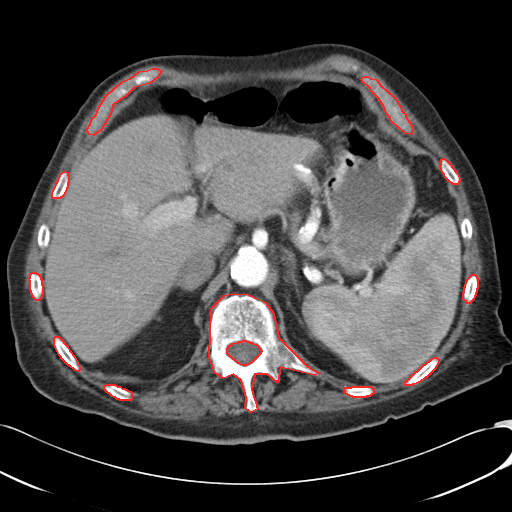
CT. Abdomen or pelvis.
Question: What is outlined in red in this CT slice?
Answer: red: bones.
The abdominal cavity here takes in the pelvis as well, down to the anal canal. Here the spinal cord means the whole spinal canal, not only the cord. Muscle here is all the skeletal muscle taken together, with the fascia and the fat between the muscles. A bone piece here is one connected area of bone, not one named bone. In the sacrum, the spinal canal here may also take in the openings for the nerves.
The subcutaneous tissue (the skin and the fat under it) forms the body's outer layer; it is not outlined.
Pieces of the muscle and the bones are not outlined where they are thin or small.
The bones appear in 11 outlined pieces: piece 1: 232 293; 248 294; 265 302; 273 313; 278 337; 307 366; 319 373; 314 375; 280 367; 277 382; 267 374; 254 374; 251 389; 257 409; 251 412; 245 408; 246 397; 241 380; 233 374; 223 378; 215 373; 209 357; 211 308; 224 295 with a hole at 243 340; 245 340; 246 341; 248 341; 249 342; 251 342; 252 343; 256 344; 261 350; 260 353; 250 363; 246 365; 242 365; 238 363; 230 356; 229 356; 227 353; 227 348; 229 345; 230 345; 232 343; 238 342; 239 341; 242 341; piece 2: 152 68; 157 68; 161 71; 157 77; 149 83; 134 87; 125 96; 114 103; 112 105; 110 114; 101 129; 93 135; 89 134; 87 131; 87 128; 90 124; 92 118; 96 114; 98 108; 106 95; 122 81; 130 78; 139 71; 147 70; piece 3: 364 76; 367 76; 370 78; 376 79; 380 85; 394 97; 397 101; 401 110; 405 114; 405 116; 411 125; 412 131; 410 134; 405 133; 391 121; 390 118; 386 113; 384 107; 378 98; 372 92; 369 87; 362 81; 361 79; 362 77; piece 4: 55 336; 58 336; 63 341; 63 342; 67 346; 69 350; 74 356; 79 366; 79 370; 78 371; 75 370; 69 365; 68 365; 61 358; 61 357; 59 355; 54 345; 54 337; piece 5: 434 357; 436 357; 438 359; 438 363; 435 367; 435 368; 426 377; 425 377; 420 381; 414 384; 412 384; 411 385; 405 385; 404 384; 405 381; 406 381; 416 371; 417 371; 424 364; 425 364; 428 361; 429 361; 432 358; piece 6: 106 384; 114 384; 117 386; 119 386; 122 388; 124 388; 125 389; 126 389; 127 390; 130 391; 131 392; 131 399; 130 400; 120 400; 119 399; 117 399; 115 397; 112 396; 109 393; 108 393; 104 389; 104 386; piece 7: 472 274; 474 274; 476 276; 476 277; 477 278; 477 288; 476 289; 476 292; 475 293; 475 295; 474 296; 473 299; 469 303; 467 303; 466 302; 466 301; 463 299; 463 292; 464 291; 464 287; 465 286; 466 281; 467 280; 467 279; piece 8: 32 272; 35 272; 36 273; 37 273; 40 276; 40 278; 41 279; 41 284; 42 285; 42 294; 41 295; 40 298; 38 300; 36 300; 33 297; 33 296; 31 293; 31 291; 30 290; 30 281; 29 280; 29 278; 30 277; 30 274; piece 9: 352 386; 370 386; 373 389; 373 393; 372 394; 371 394; 369 396; 366 396; 365 397; 353 397; 352 396; 350 396; 349 395; 348 395; 347 394; 346 394; 345 393; 345 391; 344 390; 344 388; 345 387; 351 387; piece 10: 443 158; 444 158; 451 165; 451 166; 456 172; 459 178; 459 181; 457 184; 453 184; 449 181; 448 181; 448 180; 445 177; 444 174; 442 172; 441 170; 441 168; 440 167; 440 165; 441 164; 441 162; 440 161; 441 159; piece 11: 64 171; 67 172; 67 174; 68 175; 68 182; 67 183; 67 187; 66 188; 63 195; 61 197; 60 197; 59 198; 53 198; 52 197; 52 192; 56 185; 56 183; 57 182; 57 181; 58 180; 61 173. The spinal cord is outlined by 243 340; 245 340; 246 341; 248 341; 249 342; 251 342; 252 343; 256 344; 261 350; 260 353; 250 363; 246 365; 242 365; 238 363; 230 356; 229 356; 227 353; 227 348; 229 345; 230 345; 232 343; 238 342; 239 341; 242 341. The torso is outlined by 317 42; 359 47; 399 70; 427 96; 467 155; 492 221; 502 283; 498 314; 511 340; 511 364; 491 380; 418 412; 304 441; 213 445; 166 439; 55 403; 39 393; 16 359; 6 257; 65 126; 90 92; 114 71; 147 57; 252 54. The muscle is outlined by 331 54; 356 58; 379 74; 460 174; 482 260; 470 326; 472 352; 421 386; 379 403; 317 413; 256 411; 253 376; 267 375; 277 383; 280 368; 319 376; 302 360; 353 384; 343 388; 353 398; 369 397; 374 393; 371 386; 420 382; 438 365; 435 356; 456 324; 462 300; 469 304; 478 288; 474 273; 466 280; 464 239; 472 238; 473 228; 468 217; 458 219; 450 186; 460 181; 455 169; 444 157; 440 160; 394 128; 392 122; 410 135; 412 125; 376 78; 330 71; 311 79; 213 87; 168 83; 138 89; 77 158; 69 178; 67 171; 60 173; 51 192; 53 199; 60 198; 52 231; 44 222; 37 231; 37 245; 45 251; 40 274; 29 274; 29 290; 36 301; 42 297; 57 335; 53 345; 68 366; 77 372; 79 363; 103 374; 168 378; 187 364; 209 317; 212 371; 223 379; 233 375; 240 380; 248 412; 197 423; 153 418; 111 405; 63 377; 42 349; 30 317; 25 261; 50 185; 99 98; 126 74; 152 64; 216 74; 295 68 with holes at 152 68; 157 68; 161 71; 157 77; 149 83; 134 87; 125 96; 114 103; 112 105; 110 114; 101 129; 93 135; 89 134; 87 131; 87 128; 90 124; 92 118; 96 114; 98 108; 106 95; 122 81; 130 78; 139 71; 147 70 and at 106 384; 114 384; 117 386; 119 386; 122 388; 124 388; 125 389; 126 389; 127 390; 130 391; 131 392; 131 399; 130 400; 120 400; 119 399; 117 399; 115 397; 112 396; 109 393; 108 393; 104 389; 104 386 and at 342 63; 352 63; 353 64; 356 64; 358 66; 358 70; 357 71; 352 71; 351 70; 348 70; 347 71; 344 71; 343 70; 342 70; 341 69; 340 69; 340 68; 339 67; 338 67; 340 65; 340 64; 341 64. The abdominal cavity is outlined by 330 72; 359 78; 393 128; 438 158; 449 182; 465 283; 435 355; 407 379; 355 385; 302 359; 279 337; 265 301; 232 292; 215 301; 194 352; 168 377; 109 374; 78 362; 46 313; 42 259; 78 158; 118 110; 154 85; 213 88.